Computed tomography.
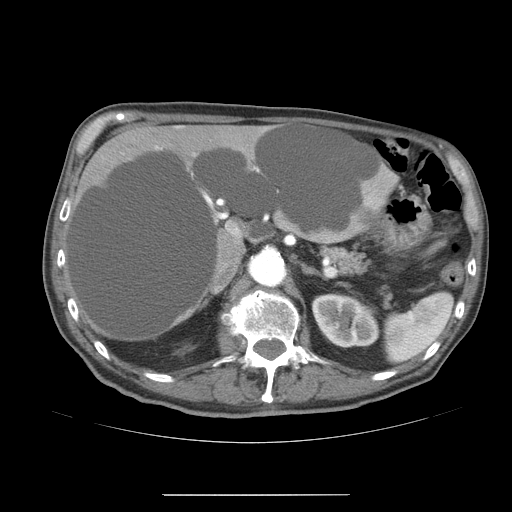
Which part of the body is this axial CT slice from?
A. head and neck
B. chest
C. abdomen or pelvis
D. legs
Answer: C. abdomen or pelvis
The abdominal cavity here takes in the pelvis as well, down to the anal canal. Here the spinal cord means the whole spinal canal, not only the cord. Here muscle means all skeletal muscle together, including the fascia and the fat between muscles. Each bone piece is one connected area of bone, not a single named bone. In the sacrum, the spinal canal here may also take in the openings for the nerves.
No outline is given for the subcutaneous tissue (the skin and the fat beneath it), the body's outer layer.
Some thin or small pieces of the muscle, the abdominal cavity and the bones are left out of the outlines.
Outlines:
abdominal cavity: 242 121; 304 122; 397 136; 443 155; 463 190; 473 244; 468 282; 451 322; 423 354; 380 371; 320 356; 293 301; 262 289; 240 295; 220 314; 217 355; 172 373; 134 365; 98 339; 79 310; 64 250; 86 159; 104 140; 135 127
torso: 175 100; 338 111; 431 132; 447 139; 462 152; 475 172; 488 213; 487 280; 472 327; 431 380; 347 410; 224 418; 190 415; 165 406; 143 403; 103 384; 92 374; 59 333; 42 281; 46 220; 67 146; 79 123; 103 106; 127 101
muscle 1: 122 109; 136 109; 147 112; 159 112; 160 113; 190 113; 191 114; 228 115; 241 117; 282 116; 283 117; 309 117; 310 118; 329 119; 412 133; 418 136; 427 138; 434 142; 441 142; 445 144; 454 150; 461 157; 468 167; 474 180; 483 216; 483 243; 481 255; 480 279; 473 298; 473 301; 471 303; 471 307; 460 327; 460 329; 440 357; 430 369; 423 374; 403 380; 386 388; 369 394; 341 400; 310 399; 306 402; 301 403; 289 403; 284 401; 275 404; 258 403; 253 405; 232 405; 225 403; 219 403; 216 401; 194 402; 153 392; 109 370; 96 360; 80 345; 72 335; 65 322; 52 285; 50 250; 51 249; 51 238; 54 214; 60 192; 62 189; 62 185; 64 181; 72 148; 78 135; 82 129; 90 121; 93 120; 84 129; 76 144; 75 148; 76 154; 79 157; 83 156; 88 151; 90 147; 94 144; 96 138; 110 123; 112 122; 124 123; 129 122; 134 119; 133 114; 128 111; 108 112; 99 115; 112 110; 121 110 with a hole at 242 121; 304 122; 397 136; 437 150; 446 160; 448 155; 459 160; 477 209; 469 257; 475 260; 475 274; 468 275; 459 299; 464 302; 462 316; 452 317; 429 358; 423 361; 421 354; 381 380; 371 379; 375 371; 323 356; 328 364; 282 365; 274 373; 268 403; 261 400; 267 382; 262 367; 243 369; 238 360; 212 366; 227 355; 240 357; 246 349; 245 338; 231 335; 221 323; 218 354; 169 373; 172 382; 145 376; 144 371; 152 370; 109 349; 109 360; 97 351; 93 342; 98 338; 81 312; 77 321; 70 314; 67 300; 76 296; 66 264; 57 265; 68 223; 59 213; 68 197; 73 207; 86 159; 104 140; 135 127
muscle 2: 303 320; 305 320; 307 325; 309 327; 309 340; 310 341; 310 348; 311 350; 307 346; 305 346; 301 344; 296 344; 295 343; 295 339; 297 335; 297 332; 298 331; 298 329; 299 328; 300 323
spinal cord: 264 339; 266 339; 267 340; 272 340; 273 339; 277 339; 281 341; 283 343; 285 347; 285 350; 283 351; 280 354; 276 356; 273 359; 268 359; 262 356; 254 350; 254 346; 255 344; 258 341; 260 340; 263 340
bones 1: 256 290; 288 297; 300 317; 294 343; 328 362; 300 363; 297 369; 290 364; 279 366; 273 376; 270 403; 261 400; 267 382; 262 367; 243 369; 238 360; 212 366; 224 356; 244 354; 245 338; 241 334; 231 335; 220 316; 240 296; inner edge: 264 339; 266 339; 267 340; 272 340; 273 339; 277 339; 281 341; 283 343; 285 347; 285 350; 283 351; 280 354; 276 356; 273 359; 268 359; 262 356; 254 350; 254 346; 255 344; 258 341; 260 340; 263 340
bones 2: 116 112; 128 112; 131 113; 133 116; 133 119; 124 122; 115 122; 114 121; 110 122; 98 136; 95 138; 93 144; 89 147; 87 151; 83 155; 79 156; 76 152; 76 148; 78 141; 85 129; 98 116; 101 116; 108 113; 115 113
bones 3: 448 155; 451 155; 458 159; 464 167; 465 171; 468 175; 473 198; 477 209; 478 221; 477 222; 477 229; 475 230; 472 228; 466 217; 466 212; 465 211; 465 199; 466 197; 464 193; 464 190; 462 185; 454 175; 448 163; 447 160
bones 4: 144 371; 149 371; 150 372; 156 372; 157 373; 164 373; 165 374; 168 374; 169 375; 172 376; 174 378; 174 381; 173 381; 172 382; 162 382; 161 381; 156 381; 155 380; 153 380; 152 379; 145 376; 143 374; 143 372
bones 5: 68 197; 71 200; 71 209; 70 210; 70 213; 69 214; 69 216; 67 218; 67 219; 65 221; 62 221; 61 220; 60 220; 60 219; 59 218; 59 213; 60 212; 60 210; 62 207; 62 204; 63 203; 64 200; 66 198; 67 198
bones 6: 391 369; 396 369; 397 370; 397 373; 393 376; 392 376; 391 377; 389 377; 388 378; 386 378; 385 379; 382 379; 381 380; 373 380; 372 379; 371 379; 371 376; 376 372; 380 372; 381 371; 385 371; 386 370; 390 370
bones 7: 95 340; 99 340; 106 347; 106 348; 107 349; 107 350; 109 353; 109 355; 110 356; 110 359; 109 360; 108 360; 106 358; 105 358; 101 354; 100 354; 97 351; 97 350; 95 348; 95 347; 93 344; 93 342
bones 8: 436 340; 437 340; 438 341; 439 341; 440 342; 440 345; 439 346; 439 347; 437 349; 437 350; 429 358; 428 358; 426 360; 425 360; 424 361; 423 361; 422 360; 422 357; 424 355; 424 353; 426 351; 426 350